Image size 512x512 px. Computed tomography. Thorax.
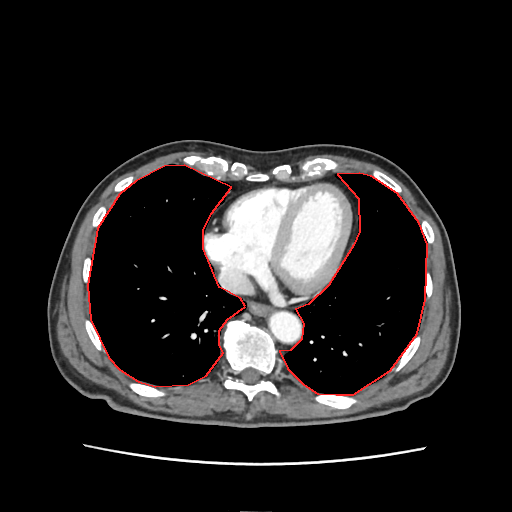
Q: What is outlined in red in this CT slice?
A: red: thoracic cavity.
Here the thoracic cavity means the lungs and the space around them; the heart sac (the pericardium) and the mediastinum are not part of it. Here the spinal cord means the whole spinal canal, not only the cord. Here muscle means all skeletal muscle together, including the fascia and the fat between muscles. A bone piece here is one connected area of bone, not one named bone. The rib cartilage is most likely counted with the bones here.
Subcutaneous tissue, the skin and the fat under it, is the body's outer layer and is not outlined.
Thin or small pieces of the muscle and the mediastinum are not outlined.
The thoracic cavity appears in 2 outlined pieces: piece 1: [[155,386],[188,384],[206,375],[223,352],[219,345],[219,330],[227,319],[245,306],[240,298],[219,287],[203,248],[203,230],[211,213],[231,187],[184,165],[164,166],[135,181],[119,194],[97,228],[87,285],[90,319],[108,357],[119,369],[138,381]]; piece 2: [[336,394],[353,394],[390,370],[417,333],[425,299],[427,244],[419,223],[397,193],[371,176],[359,173],[337,174],[358,198],[359,231],[353,245],[328,285],[308,304],[295,309],[303,323],[301,339],[290,350],[279,351],[287,368],[303,384],[317,393]]. The torso is outlined by [[242,428],[318,425],[385,415],[430,396],[449,374],[461,324],[449,237],[419,186],[385,156],[335,143],[253,150],[203,139],[174,140],[148,148],[115,167],[91,190],[76,213],[59,254],[47,301],[50,351],[64,379],[81,394],[103,399],[120,412]]. The mediastinum appears in 3 outlined pieces: piece 1: [[280,351],[286,351],[293,347],[302,335],[302,323],[294,311],[296,307],[275,307],[254,282],[244,274],[230,267],[211,263],[214,268],[215,278],[220,287],[226,292],[240,297],[246,303],[243,310],[230,318],[243,318],[251,324],[265,329],[274,338]]; piece 2: [[351,246],[358,231],[357,198],[352,190],[336,177],[336,174],[338,172],[346,172],[334,172],[326,174],[322,177],[310,178],[311,179],[322,179],[330,181],[339,186],[349,196],[356,211],[356,223],[353,237],[351,241]]; piece 3: [[223,202],[229,196],[239,191],[243,191],[245,189],[250,187],[254,187],[266,182],[280,181],[275,179],[270,179],[266,182],[248,182],[243,179],[241,180],[232,180],[228,178],[225,178],[223,180],[229,183],[232,187],[230,190],[227,191],[225,199]]. The spinal cord is outlined by [[248,384],[254,384],[255,383],[258,382],[261,378],[261,376],[260,375],[259,372],[258,371],[255,370],[253,368],[251,368],[250,367],[244,369],[242,371],[241,371],[238,375],[239,378],[240,378],[242,380],[243,380],[245,383],[247,383]]. The pericardium is outlined by [[279,307],[299,306],[308,303],[308,300],[321,291],[331,280],[350,246],[355,211],[346,193],[330,182],[310,179],[297,182],[271,182],[239,192],[229,197],[215,211],[204,230],[204,248],[208,259],[211,262],[230,266],[244,273],[255,282],[275,306]]. The bones appear in 14 outlined pieces: piece 1: [[248,401],[251,401],[260,391],[280,395],[275,384],[265,377],[273,371],[279,373],[285,363],[278,355],[273,338],[265,330],[251,325],[243,319],[229,319],[225,322],[220,335],[220,345],[229,365],[224,373],[223,385],[228,389],[241,391]] with a hole at [[248,384],[254,384],[255,383],[258,382],[261,378],[261,376],[260,375],[259,372],[258,371],[255,370],[253,368],[251,368],[250,367],[244,369],[242,371],[241,371],[238,375],[239,378],[240,378],[242,380],[243,380],[245,383],[247,383]]; piece 2: [[248,181],[266,181],[270,176],[263,172],[250,172],[242,162],[234,161],[229,164],[225,159],[214,155],[207,157],[192,155],[183,158],[185,165],[191,168],[196,164],[207,175],[213,175],[219,180],[222,180],[228,172],[232,179],[243,178]]; piece 3: [[302,180],[306,179],[307,177],[311,177],[312,176],[319,176],[320,175],[325,174],[326,172],[330,170],[334,170],[338,166],[338,163],[331,159],[324,158],[323,157],[316,157],[311,160],[307,160],[300,166],[300,173],[299,174],[299,177]]; piece 4: [[338,409],[344,409],[345,408],[347,408],[351,405],[357,402],[357,399],[352,395],[336,395],[335,394],[327,394],[326,393],[319,393],[315,396],[314,398],[315,400],[319,403],[321,403],[322,404],[325,404],[326,405],[329,405],[333,408],[337,408]]; piece 5: [[148,397],[158,397],[159,396],[163,396],[165,395],[165,392],[163,390],[160,390],[156,388],[154,386],[152,386],[148,384],[144,384],[140,382],[135,382],[134,381],[131,381],[128,383],[128,386],[133,391],[140,395],[143,395],[144,396],[147,396]]; piece 6: [[392,371],[399,371],[407,363],[407,362],[414,354],[414,353],[418,348],[419,346],[419,344],[420,343],[420,335],[419,334],[417,334],[409,344],[409,345],[407,347],[407,348],[405,350],[405,351],[403,353],[401,357],[398,360],[397,363],[391,369]]; piece 7: [[281,181],[293,181],[296,177],[293,174],[293,170],[292,169],[292,167],[288,163],[285,163],[284,164],[281,164],[280,165],[278,165],[277,166],[274,167],[271,171],[271,173],[275,177],[275,178],[276,179],[277,179],[278,180],[280,180]]; piece 8: [[399,194],[401,192],[401,187],[395,181],[394,181],[389,176],[383,173],[381,171],[379,171],[375,169],[372,171],[371,175],[373,177],[374,177],[376,179],[377,179],[379,181],[380,181],[382,183],[383,183],[385,185],[389,187],[392,190],[397,192]]; piece 9: [[105,353],[105,350],[101,343],[101,341],[98,337],[90,320],[88,318],[85,319],[85,320],[84,321],[84,323],[85,324],[85,328],[86,329],[86,331],[87,332],[92,343],[94,345],[94,346],[97,350],[98,350],[99,351],[102,351]]; piece 10: [[428,244],[430,244],[433,242],[434,240],[434,234],[433,233],[433,230],[432,229],[432,227],[430,225],[430,224],[426,220],[424,219],[421,221],[420,223],[420,225],[423,231],[423,233],[427,240],[427,243]]; piece 11: [[95,228],[96,228],[98,226],[98,225],[100,223],[100,222],[102,220],[102,219],[104,217],[104,216],[106,213],[106,211],[107,210],[107,209],[105,206],[100,206],[97,209],[97,210],[95,212],[95,213],[93,216],[93,218],[92,219],[92,226]]; piece 12: [[116,192],[120,192],[122,190],[123,190],[126,187],[127,187],[131,183],[132,183],[135,180],[134,177],[132,175],[131,175],[130,176],[128,176],[127,177],[126,177],[125,178],[122,179],[120,181],[119,181],[115,185],[115,186],[114,187],[114,190]]; piece 13: [[86,284],[87,284],[87,282],[88,281],[88,277],[89,276],[89,269],[90,268],[90,265],[91,264],[91,258],[90,257],[86,257],[84,259],[84,260],[83,261],[83,268],[82,269],[82,276],[83,277],[83,280],[84,281],[84,282]]; piece 14: [[426,299],[427,298],[428,298],[429,297],[430,297],[430,296],[432,293],[432,290],[433,289],[433,284],[432,283],[432,278],[431,277],[431,275],[430,274],[430,273],[428,271],[427,271],[426,272],[426,276],[425,277],[425,291],[426,292]]. The muscle appears in 3 outlined pieces: piece 1: [[245,419],[265,414],[311,418],[355,413],[422,390],[443,367],[452,306],[441,235],[433,218],[409,189],[381,167],[329,153],[308,155],[289,163],[297,177],[294,181],[301,180],[299,166],[316,156],[339,163],[334,171],[326,173],[370,175],[375,168],[381,170],[402,187],[400,195],[415,217],[419,222],[426,219],[435,234],[426,253],[426,270],[432,275],[434,289],[425,300],[419,348],[399,372],[390,371],[354,394],[358,402],[344,410],[316,402],[316,393],[286,367],[279,374],[273,372],[266,377],[276,384],[279,397],[260,392],[248,402],[241,392],[222,385],[228,367],[223,354],[203,378],[183,386],[156,387],[166,392],[163,397],[140,396],[127,386],[129,381],[137,381],[91,343],[83,323],[89,315],[81,269],[83,259],[91,256],[93,250],[94,212],[100,205],[110,207],[119,193],[113,190],[114,185],[128,175],[137,180],[164,165],[183,164],[186,155],[211,154],[183,151],[156,158],[116,178],[86,213],[64,274],[57,315],[59,347],[68,362],[90,381],[147,409],[197,416],[230,412]]; piece 2: [[271,178],[274,178],[274,177],[270,173],[270,171],[273,167],[270,168],[268,170],[266,170],[265,171],[261,171],[257,168],[256,168],[253,165],[249,163],[245,163],[248,166],[250,171],[263,171],[264,172],[266,172],[268,173],[271,176]]; piece 3: [[215,179],[216,179],[213,176],[207,176],[206,175],[206,174],[203,171],[198,169],[197,168],[196,165],[195,166],[194,166],[192,168],[193,169],[196,170],[198,172],[199,172],[200,173],[201,173],[206,176],[209,176],[210,177],[212,177]].